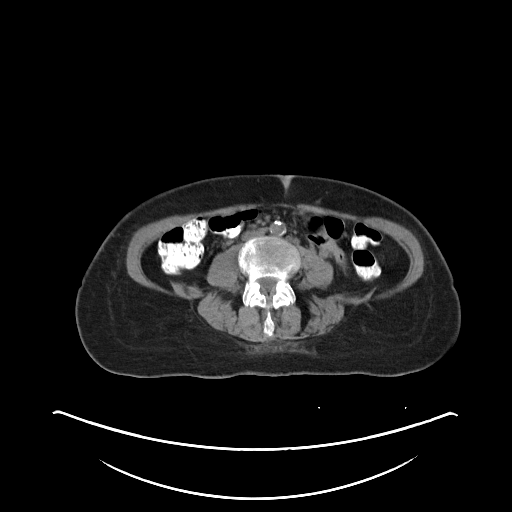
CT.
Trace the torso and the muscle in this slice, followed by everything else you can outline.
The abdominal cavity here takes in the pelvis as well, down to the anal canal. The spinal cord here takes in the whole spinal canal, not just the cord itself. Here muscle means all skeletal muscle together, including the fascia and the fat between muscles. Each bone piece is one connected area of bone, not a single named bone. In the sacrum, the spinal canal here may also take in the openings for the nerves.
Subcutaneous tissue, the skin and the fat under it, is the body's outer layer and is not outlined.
The torso is outlined by (238, 173) (305, 174) (340, 179) (382, 193) (409, 209) (436, 241) (460, 298) (461, 330) (449, 354) (421, 371) (387, 377) (243, 374) (223, 378) (185, 375) (145, 378) (112, 373) (95, 363) (79, 338) (74, 305) (82, 276) (108, 232) (127, 211) (162, 190) (201, 178). The muscle is outlined by (258, 203) (262, 203) (266, 206) (270, 206) (272, 204) (289, 204) (290, 205) (296, 205) (298, 203) (304, 203) (305, 204) (311, 204) (312, 205) (319, 206) (323, 208) (328, 208) (357, 216) (362, 216) (363, 217) (377, 216) (394, 221) (409, 229) (416, 236) (419, 241) (424, 257) (424, 268) (423, 269) (423, 272) (421, 276) (413, 284) (404, 290) (396, 293) (391, 297) (381, 300) (370, 301) (368, 304) (366, 303) (361, 303) (355, 306) (351, 305) (345, 310) (345, 315) (343, 320) (336, 325) (329, 333) (317, 337) (312, 337) (307, 339) (278, 339) (277, 338) (271, 338) (262, 342) (249, 342) (239, 339) (235, 336) (229, 335) (225, 332) (218, 331) (212, 328) (197, 313) (195, 309) (192, 309) (190, 303) (187, 300) (179, 297) (170, 296) (163, 293) (160, 293) (152, 289) (147, 288) (133, 280) (127, 273) (126, 265) (125, 264) (125, 257) (126, 256) (127, 246) (134, 231) (139, 227) (149, 222) (160, 219) (163, 217) (166, 217) (175, 214) (187, 214) (188, 213) (203, 212) (208, 210) (213, 210) (218, 208) (222, 208) (223, 207) (232, 206) (238, 204) (257, 204); inner edge: (263, 207) (365, 223) (403, 250) (405, 274) (384, 289) (328, 294) (333, 265) (298, 245) (300, 265) (288, 279) (296, 299) (270, 310) (268, 336) (267, 310) (242, 301) (240, 242) (212, 258) (206, 287) (173, 279) (166, 287) (144, 267) (148, 249) (172, 226). The spinal cord is outlined by (266, 277) (270, 277) (271, 278) (273, 278) (276, 280) (276, 281) (274, 284) (274, 286) (273, 287) (273, 290) (271, 290) (268, 292) (264, 292) (263, 291) (262, 291) (262, 290) (261, 289) (261, 285) (258, 281) (258, 280) (259, 279) (260, 279) (261, 278) (265, 278). The abdominal cavity is outlined by (263, 207) (365, 223) (403, 250) (408, 260) (405, 274) (384, 289) (375, 285) (328, 294) (325, 291) (334, 278) (328, 260) (313, 248) (296, 246) (284, 238) (255, 235) (212, 258) (205, 275) (209, 286) (170, 279) (166, 287) (144, 267) (146, 252) (166, 230) (197, 216). The bones are outlined by (255, 236) (273, 236) (284, 239) (293, 244) (300, 255) (299, 268) (288, 279) (296, 299) (294, 303) (270, 310) (274, 324) (272, 336) (268, 336) (263, 332) (267, 310) (257, 305) (252, 307) (245, 305) (242, 301) (242, 293) (247, 277) (239, 267) (238, 252) (244, 242); inner edge: (266, 277) (270, 277) (271, 278) (273, 278) (276, 280) (276, 281) (274, 284) (274, 286) (273, 287) (273, 290) (271, 290) (268, 292) (264, 292) (263, 291) (262, 291) (262, 290) (261, 289) (261, 285) (258, 281) (258, 280) (259, 279) (260, 279) (261, 278) (265, 278).